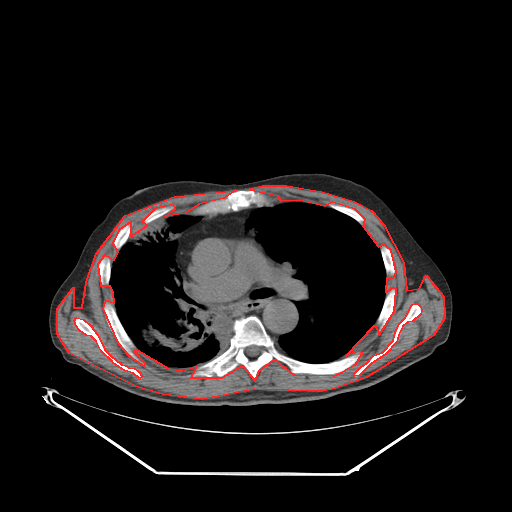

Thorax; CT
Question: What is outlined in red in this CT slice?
Answer: red: muscle.
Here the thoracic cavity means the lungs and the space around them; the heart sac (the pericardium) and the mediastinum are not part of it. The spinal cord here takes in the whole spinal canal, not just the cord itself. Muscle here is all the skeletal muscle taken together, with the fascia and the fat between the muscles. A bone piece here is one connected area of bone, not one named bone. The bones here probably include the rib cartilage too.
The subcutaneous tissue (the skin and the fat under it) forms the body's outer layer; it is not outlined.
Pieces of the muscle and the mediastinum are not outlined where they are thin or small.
Outlined structures:
muscle: [[262,185],[286,185],[321,191],[354,201],[371,210],[383,224],[403,262],[406,290],[419,288],[426,275],[443,296],[444,318],[433,335],[366,377],[335,388],[322,391],[254,389],[202,399],[162,394],[135,386],[69,353],[57,334],[57,308],[73,287],[73,307],[82,307],[86,282],[96,253],[125,215],[174,196],[235,190],[223,198],[198,204],[185,213],[165,216],[175,208],[173,204],[155,208],[142,221],[147,225],[131,236],[131,221],[118,230],[112,243],[117,251],[113,260],[104,255],[97,264],[100,285],[109,285],[112,292],[113,303],[105,300],[102,308],[117,342],[128,355],[144,366],[145,363],[134,351],[136,349],[168,368],[181,370],[196,366],[190,377],[222,377],[242,365],[255,381],[259,370],[274,359],[293,374],[334,375],[355,364],[362,353],[357,351],[346,355],[374,325],[379,334],[394,311],[396,289],[393,287],[386,292],[387,277],[393,277],[396,272],[391,250],[383,244],[379,247],[363,226],[365,219],[355,209],[332,202],[324,206],[299,200],[281,201],[278,196],[245,189]] with holes at [[414,303],[417,303],[420,306],[421,310],[420,314],[412,321],[407,322],[402,326],[398,334],[396,342],[385,354],[371,363],[359,375],[354,376],[354,373],[361,366],[366,363],[373,355],[382,352],[393,340],[395,332],[399,323],[405,317],[412,304]] and at [[76,317],[83,319],[90,325],[97,334],[104,349],[110,355],[121,364],[125,365],[128,367],[134,368],[137,370],[142,376],[139,378],[133,373],[124,370],[113,363],[112,361],[101,351],[96,341],[91,336],[86,335],[79,330],[76,326],[74,320]]
torso: [[292,173],[326,173],[366,186],[387,204],[435,262],[449,285],[453,311],[449,336],[431,355],[374,385],[323,399],[212,406],[169,403],[133,394],[67,362],[53,345],[48,326],[52,298],[77,262],[92,230],[118,200],[138,188],[168,181],[241,184]]
pericardium: [[211,236],[231,236],[244,239],[252,239],[258,242],[265,250],[266,260],[264,264],[262,274],[244,296],[237,299],[235,301],[225,302],[224,303],[206,303],[202,302],[194,296],[190,288],[186,273],[188,257],[190,256],[193,247],[199,240]]
mediastinum: [[250,208],[257,208],[246,226],[256,230],[256,240],[231,235],[199,239],[187,257],[186,278],[193,296],[202,303],[224,304],[235,302],[263,274],[266,252],[289,277],[299,316],[294,329],[277,339],[255,314],[233,322],[229,315],[208,307],[187,295],[176,262],[180,234],[201,216]]
spinal cord: [[251,345],[255,345],[256,346],[259,346],[260,347],[261,347],[262,348],[261,349],[261,352],[256,357],[254,357],[253,358],[251,358],[250,357],[249,357],[248,356],[247,356],[246,355],[246,354],[245,353],[245,348],[246,348],[248,346],[250,346]]
thoracic cavity 1: [[282,201],[299,201],[336,210],[361,225],[379,248],[386,275],[381,309],[367,333],[338,359],[307,362],[286,354],[276,346],[276,340],[280,336],[295,329],[300,316],[290,277],[256,239],[257,230],[252,226],[248,227],[247,222],[256,209],[272,207]]
thoracic cavity 2: [[177,214],[200,216],[198,221],[184,229],[177,238],[175,262],[181,278],[181,287],[184,293],[196,302],[229,316],[233,332],[229,345],[223,352],[203,363],[181,369],[165,366],[137,348],[117,314],[113,292],[109,284],[112,262],[130,236],[164,216]]
bones 1: [[249,315],[255,315],[260,319],[281,352],[299,361],[328,363],[357,352],[361,353],[361,356],[355,363],[334,374],[293,373],[285,364],[274,358],[258,370],[255,380],[242,364],[222,376],[190,376],[197,366],[220,355],[229,347],[234,334],[234,321]] with a hole at [[251,345],[255,345],[256,346],[259,346],[260,347],[261,347],[262,348],[261,349],[261,352],[256,357],[254,357],[253,358],[251,358],[250,357],[249,357],[248,356],[247,356],[246,355],[246,354],[245,353],[245,348],[246,348],[248,346],[250,346]]
bones 2: [[241,189],[253,190],[271,197],[280,198],[280,201],[274,202],[271,205],[259,207],[252,204],[248,207],[244,207],[235,211],[229,210],[224,213],[220,212],[215,214],[208,213],[203,215],[193,215],[186,213],[198,205],[212,200],[223,199],[228,193]]
bones 3: [[105,301],[107,301],[113,304],[115,308],[116,314],[122,326],[136,347],[133,351],[138,358],[143,363],[144,363],[144,365],[139,361],[134,359],[129,354],[128,354],[121,346],[113,334],[111,329],[108,325],[104,313],[103,304]]
bones 4: [[414,303],[417,303],[420,306],[421,310],[420,314],[412,321],[407,322],[402,326],[398,334],[396,342],[385,354],[371,363],[359,375],[354,376],[354,373],[361,366],[366,363],[373,355],[382,352],[393,340],[395,332],[399,323],[405,317],[412,304]]
bones 5: [[76,317],[83,319],[90,325],[97,334],[104,349],[110,355],[121,364],[125,365],[128,367],[134,368],[137,370],[142,376],[139,378],[133,373],[124,370],[113,363],[112,361],[101,351],[96,341],[91,336],[86,335],[79,330],[76,326],[74,320]]
bones 6: [[393,288],[395,289],[395,292],[396,293],[395,304],[393,308],[393,311],[391,314],[390,318],[388,320],[383,329],[379,333],[377,333],[378,327],[375,325],[376,320],[379,316],[379,314],[382,309],[382,307],[384,303],[384,300],[386,296],[386,293]]
bones 7: [[104,256],[107,256],[110,259],[110,261],[111,262],[111,269],[110,270],[110,278],[109,279],[109,283],[106,285],[104,285],[103,286],[102,286],[101,285],[101,284],[99,281],[99,275],[98,274],[98,264],[99,263],[99,261],[101,259],[101,258]]
bones 8: [[129,222],[131,222],[132,223],[132,228],[131,229],[131,231],[130,232],[130,235],[129,236],[129,238],[127,240],[127,241],[118,250],[116,250],[113,246],[113,243],[114,242],[115,237],[116,236],[117,233],[119,231],[119,230],[125,224],[126,224]]
bones 9: [[383,245],[384,246],[386,246],[390,250],[392,254],[392,256],[393,257],[393,262],[394,263],[394,267],[395,268],[395,272],[393,276],[387,276],[386,274],[386,271],[385,270],[385,266],[384,265],[383,258],[382,257],[382,255],[380,251],[380,247]]
bones 10: [[170,205],[173,205],[174,206],[174,208],[167,214],[164,215],[162,217],[161,217],[148,224],[144,224],[143,221],[144,220],[145,217],[150,212],[151,212],[155,209],[157,209],[158,208],[160,208],[161,207],[163,207],[164,206],[169,206]]
bones 11: [[328,203],[332,203],[336,205],[341,205],[342,206],[346,206],[347,207],[349,207],[355,210],[364,219],[364,222],[363,224],[362,225],[360,224],[352,217],[336,209],[334,209],[331,207],[329,207],[328,206]]